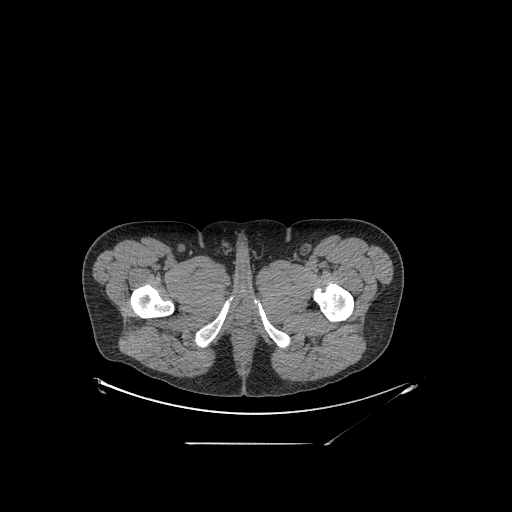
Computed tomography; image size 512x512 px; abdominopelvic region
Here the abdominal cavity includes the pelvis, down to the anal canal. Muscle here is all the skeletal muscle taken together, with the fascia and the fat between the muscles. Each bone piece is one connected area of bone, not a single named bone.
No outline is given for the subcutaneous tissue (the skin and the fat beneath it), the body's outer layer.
The abdominal cavity is outlined by (242, 310) (245, 310) (249, 316) (249, 321) (251, 322) (251, 326) (253, 328) (255, 337) (249, 357) (247, 360) (247, 363) (245, 365) (240, 365) (240, 362) (238, 361) (238, 358) (236, 355) (236, 350) (234, 347) (234, 330) (236, 324) (235, 320) (238, 312) (240, 312). The bones appear in 4 outlined pieces: piece 1: (330, 282) (336, 283) (343, 287) (349, 291) (353, 296) (354, 299) (354, 309) (353, 312) (352, 314) (344, 321) (340, 321) (339, 322) (331, 322) (329, 321) (320, 310) (318, 305) (313, 299) (313, 292) (314, 289) (318, 287) (324, 289); piece 2: (147, 283) (148, 284) (150, 284) (153, 287) (157, 289) (160, 296) (164, 300) (170, 299) (173, 302) (174, 304) (174, 311) (171, 314) (167, 316) (164, 316) (163, 317) (155, 317) (154, 318) (141, 318) (134, 313) (130, 304) (130, 296) (131, 295) (131, 292) (135, 288); piece 3: (231, 295) (233, 295) (233, 299) (230, 304) (230, 307) (225, 317) (225, 319) (215, 338) (206, 347) (204, 347) (203, 348) (199, 347) (194, 341) (194, 334) (195, 332) (198, 329) (199, 329) (204, 325) (209, 323) (215, 318) (215, 317) (220, 311) (226, 299); piece 4: (254, 297) (259, 299) (266, 313) (266, 315) (270, 322) (275, 327) (282, 331) (286, 332) (291, 337) (291, 342) (290, 344) (285, 348) (281, 348) (279, 347) (271, 339) (271, 338) (266, 332) (263, 326) (263, 324) (260, 318) (260, 316) (258, 313) (258, 309) (253, 301). The muscle is outlined by (333, 234) (369, 237) (385, 249) (393, 262) (391, 282) (367, 312) (367, 349) (343, 370) (312, 381) (284, 380) (271, 368) (270, 347) (259, 337) (250, 371) (243, 377) (236, 370) (231, 335) (227, 333) (214, 347) (215, 362) (205, 374) (180, 378) (147, 367) (115, 346) (121, 316) (92, 275) (93, 264) (106, 246) (133, 236) (150, 236) (170, 246) (179, 260) (206, 255) (223, 264) (237, 291) (245, 294) (264, 265) (277, 259) (299, 263) (321, 239), around holes outlined by (330, 282) (336, 283) (343, 287) (349, 291) (353, 296) (354, 299) (354, 309) (353, 312) (352, 314) (344, 321) (340, 321) (339, 322) (331, 322) (329, 321) (320, 310) (318, 305) (313, 299) (313, 292) (314, 289) (318, 287) (324, 289) and by (147, 283) (148, 284) (150, 284) (153, 287) (157, 289) (160, 296) (164, 300) (170, 299) (173, 302) (174, 304) (174, 311) (171, 314) (167, 316) (164, 316) (163, 317) (155, 317) (154, 318) (141, 318) (134, 313) (130, 304) (130, 296) (131, 295) (131, 292) (135, 288) and by (242, 310) (245, 310) (249, 316) (249, 321) (251, 322) (251, 326) (253, 328) (255, 337) (249, 357) (247, 360) (247, 363) (245, 365) (240, 365) (240, 362) (238, 361) (238, 358) (236, 355) (236, 350) (234, 347) (234, 330) (236, 324) (235, 320) (238, 312) (240, 312) and by (231, 295) (233, 295) (233, 299) (230, 304) (230, 307) (225, 317) (225, 319) (215, 338) (206, 347) (204, 347) (203, 348) (199, 347) (194, 341) (194, 334) (195, 332) (198, 329) (199, 329) (204, 325) (209, 323) (215, 318) (215, 317) (220, 311) (226, 299) and by (254, 297) (259, 299) (266, 313) (266, 315) (270, 322) (275, 327) (282, 331) (286, 332) (291, 337) (291, 342) (290, 344) (285, 348) (281, 348) (279, 347) (271, 339) (271, 338) (266, 332) (263, 326) (263, 324) (260, 318) (260, 316) (258, 313) (258, 309) (253, 301). The torso is outlined by (343, 217) (369, 221) (383, 229) (398, 247) (404, 266) (403, 293) (391, 340) (381, 356) (363, 370) (292, 395) (216, 397) (180, 390) (107, 360) (98, 351) (81, 270) (88, 247) (105, 230) (139, 220) (177, 220) (201, 229) (219, 220) (264, 218) (289, 225) (308, 218).